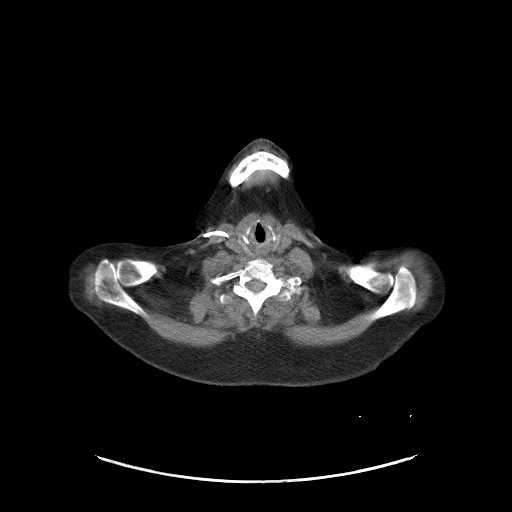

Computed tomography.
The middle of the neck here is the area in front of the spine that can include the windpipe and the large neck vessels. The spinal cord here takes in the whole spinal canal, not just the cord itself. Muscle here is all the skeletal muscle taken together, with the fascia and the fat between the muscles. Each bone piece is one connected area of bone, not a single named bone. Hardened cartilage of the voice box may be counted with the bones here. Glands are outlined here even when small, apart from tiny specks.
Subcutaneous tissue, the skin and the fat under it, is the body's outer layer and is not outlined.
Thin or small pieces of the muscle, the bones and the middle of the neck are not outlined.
{"thyroid_glands":[[[238,234],[240,234],[240,239],[241,240],[241,241],[242,242],[242,243],[247,248],[247,249],[246,250],[244,250],[239,245],[239,244],[238,243],[238,242],[237,241],[237,235]],[[278,234],[280,234],[281,235],[281,237],[280,238],[280,240],[278,243],[278,245],[277,246],[277,247],[276,248],[276,249],[275,250],[273,250],[273,246],[274,245],[274,244],[275,243],[275,242],[276,241],[276,240],[277,240],[278,239]]],"head_and_neck":[[[258,137],[264,137],[272,140],[287,152],[292,159],[295,166],[297,190],[315,219],[317,226],[315,233],[319,238],[297,245],[268,251],[226,250],[213,247],[201,242],[194,237],[198,234],[193,226],[196,215],[207,201],[220,174],[228,162],[246,143]]],"spinal_cord":[[[252,280],[259,280],[260,281],[261,281],[262,282],[263,282],[264,283],[265,283],[265,285],[264,286],[264,287],[261,290],[260,290],[257,292],[255,292],[254,291],[253,291],[252,290],[251,290],[247,286],[247,285],[246,284],[248,282],[249,282]]],"bones":[{"outer":[[257,258],[273,264],[273,270],[280,276],[300,277],[303,288],[287,301],[281,301],[277,296],[266,298],[254,316],[249,303],[241,296],[233,294],[227,303],[222,304],[218,296],[229,293],[231,287],[227,283],[218,286],[210,279],[241,269],[248,261]],"hole":[[252,280],[259,280],[260,281],[261,281],[262,282],[263,282],[264,283],[265,283],[265,285],[264,286],[264,287],[261,290],[260,290],[257,292],[255,292],[254,291],[253,291],[252,290],[251,290],[247,286],[247,285],[246,284],[248,282],[249,282]]},[[103,259],[107,259],[113,264],[116,264],[120,260],[124,261],[127,259],[151,260],[157,264],[158,271],[147,281],[137,285],[123,287],[142,307],[147,314],[146,317],[142,317],[125,308],[105,302],[97,296],[94,290],[95,272],[98,268],[99,263]],[[353,263],[363,265],[371,264],[376,271],[393,275],[402,265],[408,268],[416,281],[416,301],[414,305],[411,308],[401,310],[373,321],[368,319],[368,315],[388,296],[390,289],[384,287],[379,293],[375,293],[356,284],[348,276],[344,268],[344,266]],[[262,150],[270,152],[285,160],[287,162],[290,169],[289,176],[287,178],[283,178],[273,170],[270,169],[258,169],[252,172],[248,176],[247,179],[244,180],[237,186],[232,187],[229,184],[228,179],[231,172],[237,166],[239,162],[244,157],[254,152]]],"muscle":[{"outer":[[258,143],[286,160],[267,150],[254,151],[230,172],[228,184],[235,188],[258,170],[273,171],[283,179],[290,174],[280,191],[295,221],[330,257],[356,262],[343,266],[356,285],[375,294],[389,289],[366,317],[373,322],[356,337],[328,346],[299,346],[279,332],[251,329],[211,347],[175,343],[139,316],[148,314],[124,287],[147,282],[159,271],[158,264],[151,259],[108,259],[165,257],[193,249],[216,222],[229,169]],"hole":[[254,218],[269,222],[278,234],[292,240],[286,253],[266,259],[278,275],[300,277],[303,287],[287,301],[266,298],[256,316],[241,296],[233,294],[222,304],[218,296],[229,293],[231,287],[210,281],[243,268],[250,260],[232,253],[225,242],[241,234]]},[[407,250],[417,252],[425,260],[426,267],[432,274],[434,281],[432,294],[429,297],[427,304],[421,310],[394,314],[411,309],[417,301],[417,281],[413,272],[402,264],[393,274],[390,272],[376,270],[371,263],[363,264],[360,262],[370,258],[384,259]],[[89,263],[95,264],[98,263],[97,268],[94,272],[94,278],[93,279],[93,290],[96,296],[105,303],[111,304],[131,312],[113,307],[111,308],[105,306],[101,307],[95,306],[88,302],[84,298],[82,293],[83,280],[81,277],[81,273],[83,269]]],"middle_of_the_neck":[[[254,218],[269,222],[277,232],[270,224],[267,225],[274,241],[273,251],[283,236],[292,240],[292,247],[284,254],[266,258],[250,259],[232,253],[225,242],[235,237],[238,245],[246,251],[248,248],[245,245],[250,242],[247,236],[251,228],[246,226]]],"torso":[[[192,238],[220,250],[248,252],[268,252],[317,239],[340,248],[416,245],[439,263],[446,281],[445,303],[433,321],[377,368],[351,380],[310,387],[217,386],[192,382],[153,367],[117,345],[78,311],[67,295],[68,264],[89,246],[123,241],[166,245]]]}